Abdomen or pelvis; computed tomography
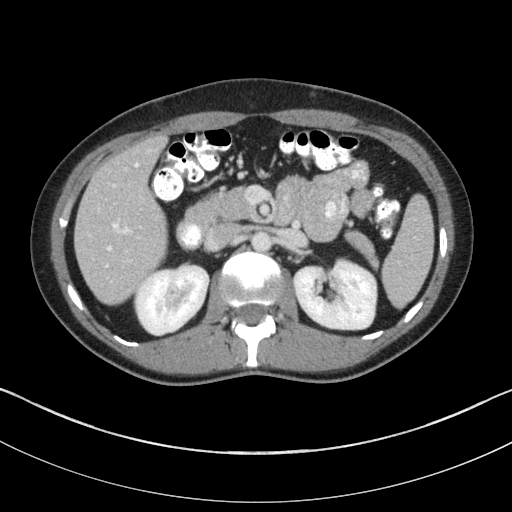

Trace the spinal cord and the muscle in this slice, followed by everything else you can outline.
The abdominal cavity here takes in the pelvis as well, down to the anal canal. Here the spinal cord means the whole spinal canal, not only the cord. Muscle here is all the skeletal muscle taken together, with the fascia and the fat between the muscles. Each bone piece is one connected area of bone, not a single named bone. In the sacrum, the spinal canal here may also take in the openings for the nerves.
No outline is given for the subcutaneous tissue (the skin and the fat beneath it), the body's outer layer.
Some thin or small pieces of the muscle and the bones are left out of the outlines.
The spinal cord is outlined by 248 325; 254 325; 258 323; 261 320; 262 320; 264 317; 264 315; 267 312; 267 307; 266 307; 264 305; 261 305; 260 304; 246 304; 236 309; 236 315; 238 317; 239 320; 240 321; 242 321; 246 323. The muscle is outlined by 180 375; 208 374; 247 367; 246 344; 230 330; 233 310; 222 299; 218 289; 220 270; 213 275; 206 312; 198 324; 172 336; 138 342; 138 347; 117 342; 112 337; 113 333; 100 324; 84 304; 85 309; 80 311; 67 294; 66 284; 72 282; 64 252; 66 227; 60 229; 57 218; 69 199; 70 214; 81 188; 104 159; 148 136; 212 130; 250 116; 269 116; 284 123; 321 126; 369 135; 387 144; 408 160; 432 192; 438 210; 438 225; 445 227; 448 237; 447 254; 441 258; 438 253; 434 271; 420 298; 424 303; 409 322; 403 323; 402 317; 374 340; 333 334; 303 324; 298 318; 290 274; 287 269; 281 268; 282 290; 270 308; 276 320; 277 331; 260 341; 258 366; 321 372; 351 367; 374 355; 420 322; 429 313; 439 295; 454 247; 453 212; 443 179; 426 150; 403 131; 379 126; 342 112; 294 108; 272 112; 214 110; 185 114; 146 129; 120 135; 86 154; 68 176; 51 220; 51 259; 62 293; 78 321; 98 339; 145 368. The torso is outlined by 171 386; 248 375; 309 383; 345 381; 384 365; 422 340; 459 295; 474 238; 465 186; 434 139; 403 112; 363 95; 299 81; 241 77; 196 85; 137 104; 76 144; 53 169; 34 207; 29 249; 36 284; 51 312; 89 351; 131 375. The bones appear in 5 outlined pieces: piece 1: 248 367; 256 367; 258 364; 256 353; 259 341; 276 331; 275 320; 269 311; 269 308; 279 295; 282 285; 281 270; 277 262; 265 254; 250 250; 232 254; 223 264; 219 280; 221 296; 234 310; 230 328; 247 344; 246 365 with a hole at 248 325; 254 325; 258 323; 261 320; 262 320; 264 317; 264 315; 267 312; 267 307; 266 307; 264 305; 261 305; 260 304; 246 304; 236 309; 236 315; 238 317; 239 320; 240 321; 242 321; 246 323; piece 2: 80 310; 83 310; 84 309; 84 306; 83 305; 83 304; 82 303; 82 301; 81 300; 79 295; 77 293; 75 288; 70 282; 67 284; 67 291; 68 292; 68 294; 69 295; 70 298; 72 300; 72 301; 75 304; 75 305; piece 3: 441 257; 444 257; 444 256; 446 254; 446 250; 447 249; 447 237; 446 236; 446 232; 445 231; 445 229; 444 228; 444 227; 443 227; 442 226; 441 226; 439 228; 439 253; 440 254; 440 255; 441 256; piece 4: 62 229; 64 228; 67 225; 67 223; 68 222; 68 218; 69 217; 69 207; 70 206; 70 200; 69 200; 67 202; 66 205; 63 209; 63 211; 62 213; 58 218; 58 223; 59 224; 59 226; 60 228; piece 5: 403 322; 407 322; 408 321; 409 321; 418 311; 418 310; 421 307; 421 306; 423 303; 423 301; 422 300; 422 299; 420 299; 419 300; 418 300; 418 301; 417 302; 416 302; 407 311; 407 312; 404 315; 404 316; 403 317. The abdominal cavity is outlined by 135 341; 198 323; 212 275; 232 253; 247 249; 289 270; 303 323; 342 335; 389 327; 419 299; 433 271; 435 200; 408 161; 354 132; 250 117; 212 131; 161 134; 132 144; 104 160; 82 188; 67 226; 65 252; 74 286; 94 317.